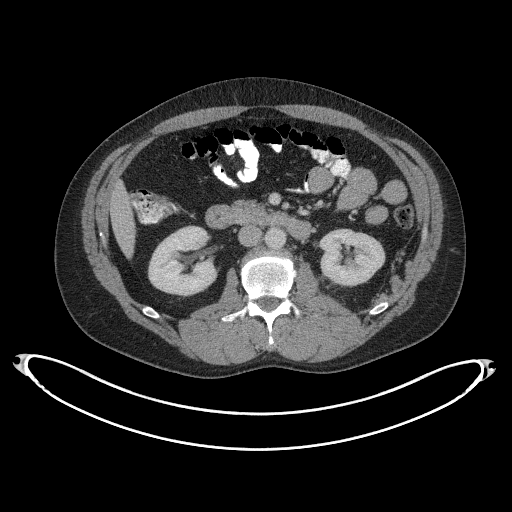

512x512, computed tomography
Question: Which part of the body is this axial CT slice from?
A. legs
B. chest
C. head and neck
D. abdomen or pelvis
Answer: D. abdomen or pelvis
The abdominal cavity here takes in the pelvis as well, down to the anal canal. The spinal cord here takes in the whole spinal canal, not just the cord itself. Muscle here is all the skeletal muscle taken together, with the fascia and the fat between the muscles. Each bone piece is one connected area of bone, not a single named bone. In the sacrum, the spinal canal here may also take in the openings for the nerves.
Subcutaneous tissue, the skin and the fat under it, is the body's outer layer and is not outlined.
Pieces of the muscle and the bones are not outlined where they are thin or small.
{"bones":[{"outer":[[269,345],[273,344],[272,323],[278,315],[291,311],[296,317],[301,314],[301,310],[288,297],[296,275],[293,256],[276,248],[252,251],[243,257],[240,280],[247,302],[241,309],[221,318],[223,321],[237,317],[242,319],[247,313],[262,317],[269,333]],"hole":[[266,311],[270,311],[271,310],[272,310],[274,308],[275,308],[279,304],[279,303],[280,302],[280,300],[278,298],[277,298],[276,297],[269,297],[268,296],[263,296],[262,297],[260,297],[256,301],[256,302],[257,303],[257,304],[262,309],[263,309]]},[[371,315],[375,315],[376,314],[377,314],[378,313],[380,313],[382,311],[383,311],[388,306],[388,302],[387,301],[381,301],[380,302],[379,302],[378,303],[377,303],[374,306],[373,306],[368,311],[368,312],[369,313],[369,314],[370,314]],[[155,319],[157,319],[160,317],[160,315],[158,313],[158,312],[157,312],[152,307],[151,307],[148,305],[144,305],[142,307],[142,308],[141,309],[141,310],[142,311],[142,312],[145,315],[146,315],[149,317],[151,317],[152,318],[154,318]]],"spinal_cord":[[[266,311],[270,311],[271,310],[272,310],[274,308],[275,308],[279,304],[279,303],[280,302],[280,300],[278,298],[277,298],[276,297],[269,297],[268,296],[263,296],[262,297],[260,297],[256,301],[256,302],[257,303],[257,304],[262,309],[263,309]]],"torso":[[[207,379],[265,367],[343,371],[410,347],[443,325],[463,284],[465,224],[453,177],[426,140],[393,116],[331,89],[286,78],[245,76],[207,83],[155,105],[113,131],[85,158],[65,191],[54,237],[54,273],[68,313],[88,337],[114,351],[163,370]]],"muscle":[{"outer":[[216,365],[242,363],[264,352],[276,352],[288,359],[310,363],[343,356],[365,343],[396,316],[411,307],[415,301],[418,283],[429,272],[435,260],[443,227],[443,204],[438,181],[427,161],[415,148],[405,141],[377,132],[354,116],[328,107],[308,104],[230,105],[201,108],[168,118],[155,125],[137,140],[118,147],[103,160],[89,182],[81,212],[83,246],[95,276],[115,297],[129,319],[155,333],[187,357],[204,364]],"holes":[[[269,345],[278,315],[301,314],[288,297],[296,262],[310,264],[322,293],[375,315],[401,286],[427,230],[379,146],[347,128],[257,108],[143,148],[112,185],[109,247],[127,290],[155,319],[217,301],[236,267],[247,302],[221,320],[262,317]],[[106,248],[107,248],[107,245],[106,244],[106,240],[105,239],[105,236],[103,233],[102,233],[101,232],[100,232],[99,233],[99,235],[100,236],[100,237],[101,238],[101,239],[103,241],[103,242],[104,243],[104,244],[105,245],[105,246],[106,247]]]}],"abdominal_cavity":[[[177,318],[217,301],[227,270],[234,266],[239,274],[244,255],[270,247],[289,251],[295,265],[307,261],[319,280],[320,291],[353,311],[385,300],[401,286],[421,232],[403,174],[379,146],[356,131],[268,108],[159,136],[112,185],[109,247],[132,297]]]}